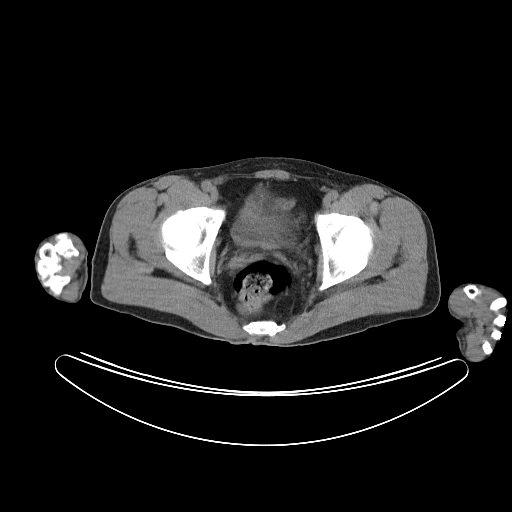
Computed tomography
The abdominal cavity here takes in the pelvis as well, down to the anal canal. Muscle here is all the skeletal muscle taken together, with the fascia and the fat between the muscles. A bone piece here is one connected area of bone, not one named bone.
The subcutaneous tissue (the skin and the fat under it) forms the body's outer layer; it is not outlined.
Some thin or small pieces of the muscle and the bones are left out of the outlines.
Outlines:
right arm: 61 231; 72 231; 79 235; 85 243; 87 249; 87 274; 88 279; 86 282; 85 289; 82 293; 81 298; 76 303; 67 303; 64 301; 58 301; 44 291; 40 282; 36 277; 36 271; 33 261; 33 256; 39 242; 44 237; 52 233
abdominal cavity: 231 178; 303 179; 319 184; 319 189; 325 192; 321 208; 313 216; 319 241; 316 245; 315 282; 301 310; 281 321; 248 321; 237 315; 228 306; 217 279; 216 259; 221 239; 218 233; 227 212; 225 205; 218 201; 220 195; 217 186
torso: 256 156; 310 160; 375 179; 415 201; 427 214; 435 239; 441 285; 441 295; 436 308; 425 316; 397 320; 338 339; 296 347; 272 347; 232 345; 226 341; 204 338; 94 304; 89 297; 91 259; 105 212; 121 192; 167 171; 210 166
muscle 1: 264 169; 282 169; 345 186; 370 183; 410 202; 420 213; 427 237; 428 270; 422 305; 406 311; 356 318; 296 341; 275 343; 262 337; 226 338; 172 313; 106 299; 101 285; 108 261; 109 230; 117 205; 125 195; 168 175; 198 180; inner edge: 231 178; 315 182; 325 192; 321 213; 356 215; 373 231; 365 267; 321 291; 317 243; 315 282; 273 336; 249 334; 242 328; 249 322; 228 306; 216 273; 218 235; 209 285; 169 261; 160 240; 160 225; 177 210; 224 208; 217 186
muscle 2: 478 287; 499 295; 488 306; 496 313; 492 323; 497 327; 493 327; 490 332; 493 339; 492 344; 487 339; 481 343; 484 354; 470 357; 466 354; 464 340; 469 322; 466 317; 452 309; 452 299; 462 288; 466 296; 474 300; 482 293
muscle 3: 69 235; 75 237; 82 247; 82 258; 79 267; 76 271; 77 278; 79 280; 79 286; 76 297; 71 300; 64 299; 59 296; 63 288; 71 280; 69 274; 61 273; 63 268; 61 262; 62 258; 69 259; 72 257; 77 257; 80 253
left arm: 464 282; 480 282; 493 286; 504 294; 507 303; 507 311; 496 347; 490 354; 489 357; 479 362; 468 361; 462 356; 458 348; 458 342; 455 337; 455 332; 461 324; 457 319; 449 314; 447 308; 447 300; 450 292; 457 285
bones 1: 197 206; 224 208; 226 211; 225 217; 219 228; 209 255; 209 274; 211 278; 211 283; 209 285; 206 285; 199 280; 197 280; 184 273; 169 261; 165 255; 165 252; 160 240; 160 225; 168 216; 179 209; 186 209; 190 207; 196 207
bones 2: 317 212; 321 213; 337 212; 341 214; 358 216; 373 231; 373 244; 374 245; 368 261; 365 267; 362 270; 357 274; 321 291; 318 289; 318 287; 321 284; 322 281; 323 256; 319 236; 316 229; 316 224; 314 219; 314 216
bones 3: 63 232; 68 234; 79 253; 77 256; 61 258; 60 262; 62 268; 60 273; 63 275; 69 275; 70 280; 62 288; 60 294; 55 296; 47 286; 43 285; 36 270; 36 263; 39 259; 38 248; 45 242; 53 244; 56 241; 55 236
bones 4: 257 320; 273 320; 274 321; 275 321; 278 324; 280 324; 281 323; 284 323; 286 326; 283 330; 277 332; 273 336; 270 336; 267 334; 249 334; 245 330; 244 330; 242 328; 242 326; 244 324; 246 324; 251 321; 256 321
bones 5: 500 296; 504 297; 506 300; 506 302; 504 306; 501 307; 497 311; 499 313; 505 316; 505 318; 504 319; 503 324; 501 326; 497 326; 493 323; 493 319; 496 316; 497 313; 495 311; 491 310; 489 306; 490 305; 490 303; 495 298
bones 6: 470 284; 471 284; 472 285; 475 285; 481 291; 481 293; 479 295; 477 295; 476 296; 476 297; 474 299; 471 299; 470 298; 469 298; 467 296; 467 295; 464 292; 464 291; 463 290; 463 288; 465 286; 466 286; 467 285; 469 285
bones 7: 484 340; 487 340; 489 342; 489 343; 491 346; 491 348; 492 349; 492 350; 491 351; 491 352; 488 354; 486 354; 485 353; 484 353; 484 352; 482 349; 482 343